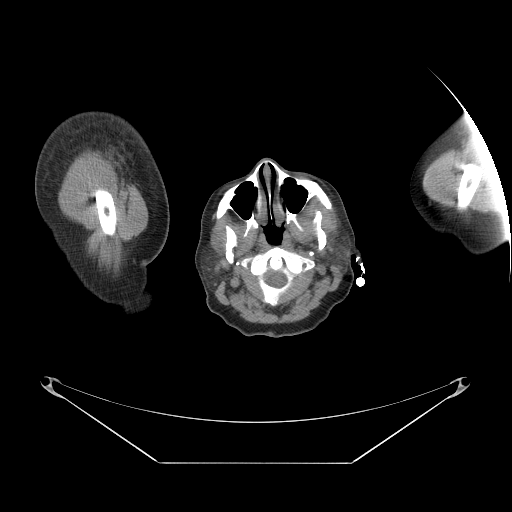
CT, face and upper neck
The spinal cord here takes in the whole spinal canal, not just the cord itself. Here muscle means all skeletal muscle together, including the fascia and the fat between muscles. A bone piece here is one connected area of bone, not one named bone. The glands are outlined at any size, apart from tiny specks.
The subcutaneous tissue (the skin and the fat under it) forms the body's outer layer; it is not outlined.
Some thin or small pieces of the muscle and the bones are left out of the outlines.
right arm: (90, 108) (115, 111) (137, 128) (155, 159) (168, 198) (167, 238) (161, 251) (147, 265) (148, 285) (155, 292) (156, 299) (148, 311) (133, 317) (121, 315) (117, 306) (99, 300) (82, 288) (56, 247) (42, 221) (35, 201) (35, 167) (44, 141) (63, 119)
left arm: (465, 111) (476, 125) (493, 159) (505, 198) (508, 217) (507, 227) (508, 233) (511, 236) (510, 242) (506, 241) (493, 251) (484, 255) (473, 255) (469, 253) (455, 238) (447, 235) (440, 235) (430, 229) (416, 211) (411, 201) (409, 192) (411, 174) (422, 152) (456, 117)
bones 1: (263, 160) (317, 182) (332, 209) (315, 196) (301, 209) (307, 192) (286, 178) (283, 204) (297, 213) (301, 230) (283, 216) (258, 215) (258, 227) (244, 236) (246, 223) (234, 211) (217, 219) (222, 195) (237, 183) (231, 205) (242, 218) (251, 215) (256, 188) (244, 180); inner edge: (270, 166) (271, 166) (273, 168) (273, 169) (274, 170) (274, 171) (275, 172) (275, 178) (274, 179) (274, 180) (273, 181) (273, 182) (272, 182) (272, 173) (271, 172) (271, 169) (270, 168)
bones 2: (226, 225) (234, 231) (237, 237) (237, 244) (232, 249) (236, 262) (263, 253) (274, 246) (279, 246) (308, 257) (315, 264) (295, 278) (293, 284) (279, 296) (276, 305) (266, 303) (263, 301) (263, 293) (257, 278) (250, 270) (241, 264) (230, 263) (226, 259) with a hole at (268, 270) (272, 270) (273, 271) (279, 271) (280, 272) (281, 272) (285, 276) (285, 277) (286, 278) (286, 282) (282, 286) (281, 286) (280, 287) (276, 287) (275, 286) (272, 286) (271, 285) (269, 285) (264, 280) (264, 274)
bones 3: (98, 188) (102, 188) (107, 190) (111, 194) (113, 198) (113, 202) (115, 206) (115, 212) (117, 218) (116, 226) (115, 227) (115, 233) (113, 235) (108, 235) (103, 233) (100, 226) (100, 223) (97, 214) (97, 209) (95, 205) (95, 197) (93, 194) (94, 191)
bones 4: (467, 163) (474, 163) (480, 166) (480, 171) (481, 172) (481, 180) (479, 184) (477, 186) (476, 189) (474, 191) (470, 199) (469, 205) (463, 205) (462, 204) (457, 203) (457, 187) (458, 186) (458, 183) (460, 179) (460, 176) (462, 174) (462, 172) (465, 168) (465, 166)
bones 5: (316, 210) (319, 210) (321, 212) (321, 228) (325, 232) (326, 234) (326, 243) (324, 247) (321, 250) (319, 250) (318, 249) (318, 243) (317, 242) (317, 237) (316, 236) (316, 234) (314, 230) (314, 225) (312, 222) (312, 220) (315, 216) (315, 211)
spinal cord: (268, 270) (272, 270) (273, 271) (279, 271) (280, 272) (281, 272) (285, 276) (285, 277) (286, 278) (286, 282) (282, 286) (281, 286) (280, 287) (276, 287) (275, 286) (272, 286) (271, 285) (269, 285) (264, 280) (264, 274)
parotid glands 1: (207, 243) (209, 243) (211, 247) (219, 255) (219, 256) (221, 258) (225, 259) (226, 261) (230, 264) (232, 268) (232, 275) (231, 277) (226, 280) (223, 280) (219, 283) (214, 291) (212, 291) (206, 286) (204, 281) (202, 270) (201, 269) (201, 259) (200, 256) (204, 246)
parotid glands 2: (340, 222) (344, 228) (345, 231) (347, 232) (350, 239) (350, 247) (349, 248) (349, 254) (348, 255) (349, 264) (348, 265) (348, 268) (346, 271) (342, 270) (337, 264) (330, 265) (326, 263) (321, 257) (321, 253) (327, 245) (328, 238) (329, 238) (335, 233)
muscle 1: (93, 143) (104, 144) (116, 154) (124, 164) (130, 175) (138, 184) (138, 187) (142, 193) (148, 209) (147, 227) (129, 256) (119, 278) (116, 279) (110, 278) (107, 275) (101, 273) (83, 257) (78, 237) (69, 221) (61, 214) (56, 199) (57, 187) (67, 161) (78, 150), around a hole outlined by (98, 188) (102, 188) (107, 190) (111, 194) (113, 198) (113, 202) (115, 206) (115, 212) (117, 218) (116, 226) (115, 227) (115, 233) (113, 235) (108, 235) (103, 233) (100, 226) (100, 223) (97, 214) (97, 209) (95, 205) (95, 197) (93, 194) (94, 191)
muscle 2: (318, 182) (333, 195) (341, 221) (327, 240) (322, 212) (316, 209) (311, 220) (320, 257) (326, 264) (337, 265) (345, 272) (338, 289) (309, 317) (293, 323) (256, 324) (232, 315) (213, 293) (219, 284) (232, 277) (231, 264) (249, 270) (256, 278) (262, 301) (271, 306) (278, 304) (280, 296) (298, 276) (315, 266) (308, 256) (278, 245) (284, 228) (274, 222) (280, 216) (287, 225) (292, 223) (301, 231) (298, 212) (313, 197) (331, 211) (332, 202)
muscle 3: (480, 132) (487, 145) (497, 170) (501, 182) (503, 194) (505, 198) (507, 213) (483, 214) (477, 212) (472, 212) (453, 206) (444, 205) (441, 203) (436, 203) (434, 201) (430, 200) (423, 191) (422, 177) (424, 169) (432, 164) (443, 152) (447, 151) (451, 148) (456, 147) with a hole at (467, 163) (474, 163) (480, 166) (480, 171) (481, 172) (481, 180) (479, 184) (477, 186) (476, 189) (474, 191) (470, 199) (469, 205) (463, 205) (462, 204) (457, 203) (457, 187) (458, 186) (458, 183) (460, 179) (460, 176) (462, 174) (462, 172) (465, 168) (465, 166)
muscle 4: (231, 184) (234, 184) (223, 192) (217, 203) (215, 209) (215, 218) (217, 220) (220, 219) (228, 210) (234, 212) (245, 223) (243, 236) (246, 237) (252, 229) (257, 229) (259, 227) (257, 217) (265, 216) (267, 221) (263, 227) (263, 231) (267, 241) (273, 245) (263, 252) (246, 256) (240, 261) (235, 260) (233, 251) (238, 244) (238, 237) (235, 231) (228, 224) (224, 226) (225, 258) (221, 257) (209, 242) (210, 216) (212, 212) (212, 206) (218, 194)
head and neck: (265, 156) (286, 169) (303, 170) (321, 177) (337, 190) (354, 232) (355, 245) (361, 253) (359, 263) (354, 254) (350, 257) (354, 273) (350, 291) (328, 317) (310, 331) (281, 337) (246, 336) (211, 312) (206, 305) (194, 261) (201, 215) (211, 193) (225, 182) (245, 175); inner edges: (244, 182) (250, 182) (252, 184) (253, 187) (255, 188) (255, 198) (253, 202) (253, 205) (251, 208) (250, 215) (247, 218) (244, 218) (242, 217) (242, 216) (240, 215) (239, 213) (238, 213) (238, 212) (232, 205) (232, 201) (236, 196) (236, 191) (238, 189) (240, 185), then (286, 179) (292, 179) (294, 181) (294, 183) (297, 186) (300, 186) (303, 188) (306, 192) (306, 196) (305, 197) (304, 202) (301, 206) (299, 211) (297, 212) (293, 212) (291, 211) (289, 208) (284, 204) (284, 199) (282, 196) (282, 187) (284, 185) (284, 182), then (268, 218) (273, 220) (273, 222) (277, 226) (279, 226) (280, 227) (281, 226) (283, 228) (283, 230) (281, 234) (281, 240) (280, 242) (277, 245) (274, 245) (272, 243) (270, 243) (268, 241) (266, 237) (266, 234) (264, 231) (264, 227) (267, 224) (267, 222) (268, 221), then (270, 166) (271, 166) (273, 168) (273, 169) (274, 170) (274, 171) (275, 172) (275, 178) (274, 179) (274, 180) (273, 181) (273, 182) (272, 182) (272, 173) (271, 172) (271, 169) (270, 168)